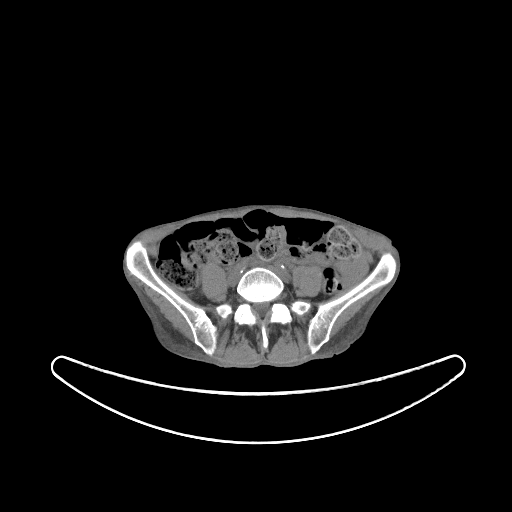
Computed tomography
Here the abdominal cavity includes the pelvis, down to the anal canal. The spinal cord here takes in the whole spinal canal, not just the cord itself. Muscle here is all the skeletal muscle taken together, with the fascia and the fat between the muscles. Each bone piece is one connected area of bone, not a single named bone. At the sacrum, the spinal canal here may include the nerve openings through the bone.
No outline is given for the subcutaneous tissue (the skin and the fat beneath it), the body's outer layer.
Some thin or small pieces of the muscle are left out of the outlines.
Outlined structures:
abdominal cavity: 254,209 344,226 373,256 373,267 361,280 327,299 304,300 288,297 282,279 257,265 242,273 236,293 228,299 232,284 226,272 208,263 199,274 200,290 217,304 198,303 152,263 158,242 187,222 241,216 with a hole at 310,265 316,265 320,268 321,270 321,275 323,279 323,284 321,287 321,289 316,295 310,297 307,296 305,297 299,297 296,294 294,290 292,284 292,281 291,280 292,268 296,266 309,266
bones 1: 257,266 270,269 281,279 284,302 303,300 311,304 301,315 292,312 290,322 268,323 266,348 262,346 257,323 239,324 232,314 223,318 215,310 219,304 229,303 234,307 240,301 236,292 238,281 244,272, around a hole outlined by 263,302 267,302 268,303 269,303 270,304 269,305 269,314 268,315 267,315 266,316 265,316 264,317 259,317 257,315 256,315 256,314 254,312 254,308 253,307 253,304 254,303 262,303
bones 2: 134,239 142,241 146,248 151,265 157,275 180,297 189,303 202,308 213,324 215,325 217,335 216,348 212,355 208,355 199,346 195,344 191,329 184,317 178,310 162,295 130,273 126,266 124,258 128,244
bones 3: 384,252 390,252 396,260 396,269 393,278 387,284 369,292 349,305 337,317 334,322 328,341 324,343 314,354 310,353 307,346 307,339 306,338 307,330 309,321 317,310 319,304 339,297 359,283 368,275
muscle 1: 152,264 164,278 194,302 201,305 216,305 214,310 221,318 232,315 239,325 257,324 264,349 269,345 268,324 290,323 292,313 301,316 311,309 308,301 327,300 359,282 339,296 318,304 308,321 305,336 311,355 289,361 268,361 263,356 251,362 224,362 196,353 130,278 126,267 131,275 169,302 188,325 194,344 212,356 217,348 216,325 202,307 189,302 169,286
muscle 2: 265,207 284,207 300,211 310,211 335,218 379,234 389,242 395,251 397,258 397,269 397,260 390,251 384,251 374,266 374,256 360,241 358,236 344,225 337,223 331,219 322,219 302,215 284,215 263,209
muscle 3: 208,264 215,264 222,268 225,272 231,284 231,286 228,289 227,299 228,300 230,299 233,294 236,294 239,298 239,301 234,306 229,302 222,302 218,304 217,302 214,302 208,298 202,292 200,274 203,268
muscle 4: 310,265 316,265 320,268 321,270 321,275 323,279 323,284 321,287 321,289 316,295 310,297 307,296 305,297 299,297 296,294 294,290 292,284 292,281 291,280 292,268 296,266 309,266
muscle 5: 243,208 254,208 246,211 241,215 224,215 211,219 194,219 178,225 164,234 159,239 156,244 153,255 150,259 147,248 143,241 141,239 135,239 142,232 152,228 191,220 195,217 211,213 233,211
muscle 6: 384,286 385,286 375,296 368,301 361,309 349,320 349,321 327,344 326,347 325,347 321,352 316,353 324,344 329,341 331,336 331,332 335,322 337,320 338,317 349,306 361,299 369,293 377,289 382,288
muscle 7: 283,292 284,293 285,293 286,294 286,295 287,296 287,297 288,298 292,298 293,299 293,300 292,300 289,303 287,303 285,301 284,301 282,299 282,294 283,293
spinal cord: 263,302 267,302 268,303 269,303 270,304 269,305 269,314 268,315 267,315 266,316 265,316 264,317 259,317 257,315 256,315 256,314 254,312 254,308 253,307 253,304 254,303 262,303
torso: 254,203 289,204 329,212 386,234 398,249 401,270 397,281 375,310 363,335 344,352 293,367 261,365 253,368 224,368 175,355 157,341 149,319 122,271 122,255 131,238 136,232 155,224 207,210